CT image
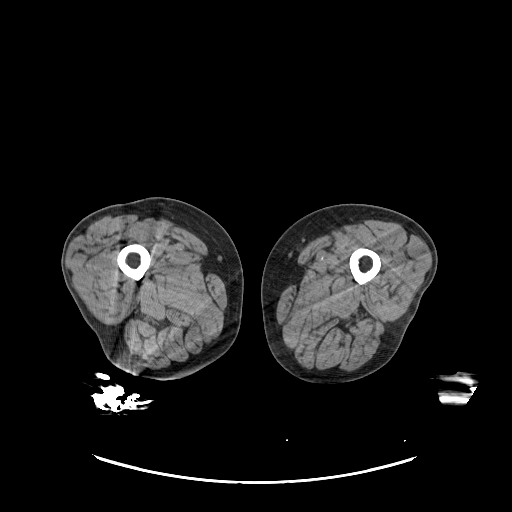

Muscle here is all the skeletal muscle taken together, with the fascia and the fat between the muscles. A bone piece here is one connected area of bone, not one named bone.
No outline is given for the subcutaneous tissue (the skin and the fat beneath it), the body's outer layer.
{"muscle":[{"outer":[[130,212],[162,217],[196,232],[208,246],[224,280],[228,292],[228,309],[227,321],[221,336],[205,354],[185,364],[165,369],[145,367],[127,352],[93,318],[81,304],[79,297],[72,286],[71,278],[65,266],[66,252],[71,239],[85,225],[105,215]],"hole":[[132,243],[138,243],[139,244],[143,245],[149,251],[152,257],[152,259],[150,262],[150,266],[144,273],[143,276],[139,280],[137,281],[126,276],[120,270],[116,261],[116,258],[117,257],[117,254],[118,252],[124,246],[128,244],[131,244]]},{"outer":[[358,219],[388,219],[415,231],[424,240],[431,252],[431,270],[413,298],[405,314],[393,325],[384,337],[374,356],[362,367],[341,374],[325,374],[305,371],[290,356],[277,326],[276,304],[285,270],[298,254],[300,248],[307,242],[320,236],[331,228]],"hole":[[359,247],[365,247],[366,248],[371,249],[376,252],[379,255],[380,257],[380,261],[381,262],[380,269],[376,275],[371,280],[368,281],[364,284],[359,284],[356,281],[355,281],[349,267],[349,258],[350,257],[350,255],[356,248],[358,248]]}],"bones":[[[132,243],[138,243],[139,244],[143,245],[149,251],[152,257],[152,259],[150,262],[150,266],[144,273],[143,276],[139,280],[137,281],[126,276],[120,270],[116,261],[116,258],[117,257],[117,254],[118,252],[124,246],[128,244],[131,244]],[[359,247],[365,247],[366,248],[371,249],[376,252],[379,255],[380,257],[380,261],[381,262],[380,269],[376,275],[371,280],[368,281],[364,284],[359,284],[356,281],[355,281],[349,267],[349,258],[350,257],[350,255],[356,248],[358,248]]],"right_leg":[[[151,196],[168,197],[187,202],[213,217],[233,240],[243,269],[242,314],[235,341],[222,356],[212,363],[177,379],[159,380],[134,375],[111,363],[104,354],[97,336],[82,317],[66,287],[61,270],[60,261],[64,241],[72,228],[83,217],[108,205]]],"left_leg":[[[342,203],[377,205],[412,218],[424,228],[434,242],[438,258],[437,269],[433,280],[421,297],[417,311],[407,327],[397,351],[386,364],[356,380],[331,384],[313,383],[302,380],[284,369],[268,347],[262,319],[261,277],[271,248],[292,223],[314,210]]]}